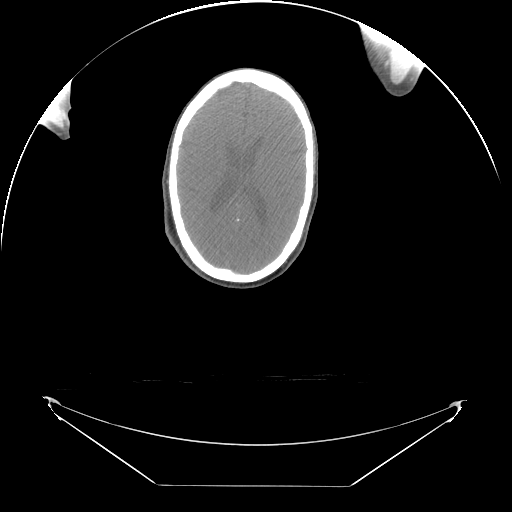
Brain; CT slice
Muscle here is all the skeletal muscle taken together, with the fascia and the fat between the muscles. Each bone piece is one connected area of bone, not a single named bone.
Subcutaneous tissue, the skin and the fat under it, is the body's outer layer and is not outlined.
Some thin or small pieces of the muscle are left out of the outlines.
The brain is outlined by 233 83; 251 83; 285 100; 292 108; 299 121; 305 147; 303 155; 303 193; 295 223; 280 251; 270 261; 249 272; 239 272; 228 267; 218 266; 204 257; 193 242; 186 228; 178 193; 177 166; 184 132; 198 110; 219 90. The right arm is outlined by 71 78; 71 81; 70 82; 70 104; 71 105; 71 108; 68 113; 69 122; 70 123; 70 137; 68 139; 61 140; 52 132; 51 132; 44 125; 41 123; 38 123; 38 121; 39 120; 39 118; 41 117; 42 114; 53 98. The bones are outlined by 247 67; 271 72; 283 78; 293 87; 304 103; 313 127; 313 188; 310 207; 300 240; 287 259; 275 271; 259 280; 232 282; 214 278; 203 272; 192 262; 182 246; 176 231; 170 205; 168 171; 175 128; 188 102; 215 76; 228 70, around a hole outlined by 233 83; 251 83; 285 100; 292 108; 299 121; 305 147; 303 155; 303 193; 295 223; 280 251; 270 261; 249 272; 239 272; 228 267; 218 266; 204 257; 193 242; 186 228; 178 193; 177 166; 184 132; 198 110; 219 90. The left arm is outlined by 359 21; 395 40; 417 56; 417 57; 426 65; 426 66; 422 69; 418 76; 417 81; 413 89; 409 93; 399 97; 393 96; 389 94; 381 85; 376 76; 372 72; 366 59; 364 53; 363 45; 362 44; 362 35; 360 31. The muscle appears in 3 outlined pieces: piece 1: 366 25; 371 28; 373 28; 381 32; 383 34; 395 40; 420 59; 419 62; 412 70; 407 78; 403 82; 398 84; 393 83; 389 79; 388 76; 385 73; 384 68; 378 59; 378 57; 374 51; 369 40; 369 38; 367 34; 367 27; piece 2: 63 86; 64 86; 64 89; 63 90; 61 100; 60 101; 61 102; 61 106; 62 107; 62 111; 63 112; 63 116; 64 117; 65 127; 62 129; 53 124; 51 124; 51 123; 49 122; 42 115; 42 114; 50 102; 63 87; piece 3: 168 161; 168 170; 167 171; 167 191; 168 192; 169 205; 170 206; 171 215; 172 216; 172 219; 173 220; 175 231; 178 237; 178 239; 180 242; 180 244; 191 262; 188 259; 182 250; 182 248; 179 245; 178 241; 174 235; 174 231; 173 230; 172 221; 171 220; 170 212; 169 211; 168 196; 167 195; 167 189; 166 188; 166 183; 165 182; 166 180; 166 177; 167 176; 167 166; 168 165. The head is outlined by 236 67; 266 69; 287 80; 301 94; 309 108; 315 124; 319 146; 318 199; 301 253; 280 276; 261 286; 245 289; 228 288; 211 283; 195 274; 183 263; 169 243; 164 231; 161 188; 166 146; 173 124; 181 109; 207 80; 220 72.